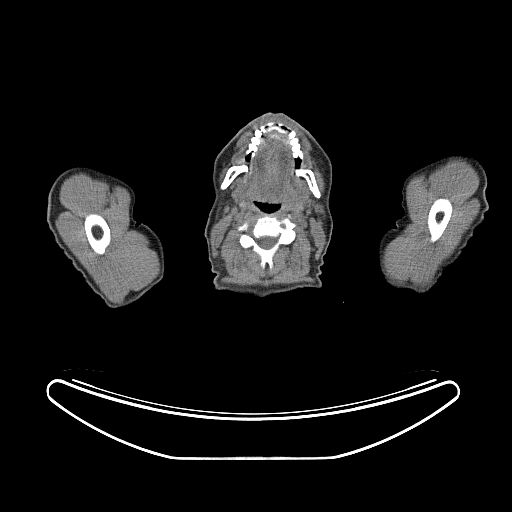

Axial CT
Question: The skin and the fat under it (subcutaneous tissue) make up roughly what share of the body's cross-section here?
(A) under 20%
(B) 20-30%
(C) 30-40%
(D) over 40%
Answer: (B) 20-30%
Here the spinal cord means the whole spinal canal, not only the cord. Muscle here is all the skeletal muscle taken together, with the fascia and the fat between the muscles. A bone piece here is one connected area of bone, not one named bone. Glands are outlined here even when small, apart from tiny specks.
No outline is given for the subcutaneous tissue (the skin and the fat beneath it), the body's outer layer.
{"muscle":[{"outer":[[273,130],[287,137],[295,175],[305,180],[316,199],[321,197],[322,204],[316,204],[314,212],[325,214],[325,241],[311,269],[312,281],[269,286],[227,283],[222,280],[225,273],[212,254],[210,239],[215,214],[222,201],[221,190],[248,171],[262,135]],"hole":[[257,203],[279,205],[272,212],[274,215],[278,219],[289,215],[289,219],[295,224],[294,239],[289,244],[279,246],[272,259],[272,269],[267,265],[262,268],[259,255],[251,247],[242,247],[239,242],[243,232],[238,227],[247,221],[250,230],[264,211]]},{"outer":[[77,172],[85,172],[94,178],[104,179],[111,185],[124,187],[129,192],[129,228],[145,234],[150,240],[150,247],[157,253],[157,276],[142,288],[131,290],[121,302],[112,302],[106,297],[64,243],[56,228],[55,220],[61,207],[61,184],[68,176]],"hole":[[90,213],[96,213],[102,216],[106,221],[109,227],[109,230],[110,231],[110,242],[106,247],[104,253],[102,254],[97,254],[93,250],[88,241],[88,239],[87,238],[87,236],[85,232],[85,228],[84,227],[84,220],[85,219],[86,215]]},{"outer":[[454,158],[463,159],[470,163],[479,175],[479,184],[475,193],[479,201],[479,211],[452,254],[442,262],[427,285],[418,286],[410,280],[398,282],[386,272],[383,263],[383,253],[386,245],[409,222],[406,187],[414,176],[423,172],[428,174],[436,167]],"hole":[[438,198],[446,198],[448,199],[451,203],[452,211],[451,212],[450,218],[446,225],[446,227],[444,229],[440,237],[434,242],[431,242],[430,241],[430,233],[429,232],[428,225],[427,224],[427,218],[428,217],[428,214],[429,213],[430,208],[433,202]]},[[270,118],[279,118],[285,120],[296,127],[308,140],[312,148],[311,154],[321,161],[319,163],[319,167],[323,173],[325,181],[325,187],[322,196],[314,172],[310,168],[304,167],[304,154],[295,131],[280,121],[270,120],[264,124],[261,124],[254,130],[254,134],[250,138],[250,142],[245,150],[243,162],[241,164],[231,165],[227,169],[219,184],[218,177],[223,164],[230,158],[240,137],[245,132],[250,130],[254,125]]],"bones":[{"outer":[[262,212],[272,212],[278,219],[289,215],[289,219],[295,224],[293,228],[294,239],[289,244],[279,246],[272,259],[272,269],[269,269],[267,265],[262,268],[259,255],[251,247],[242,247],[239,242],[243,232],[238,230],[238,227],[247,221],[250,230]],"hole":[[264,236],[269,236],[270,237],[276,237],[277,238],[277,239],[276,240],[275,243],[271,247],[270,247],[269,248],[266,249],[265,248],[263,248],[262,247],[261,247],[257,243],[257,242],[256,241],[256,239],[257,239],[260,237],[263,237]]},[[270,121],[283,123],[294,131],[303,154],[303,167],[313,172],[321,194],[319,198],[313,195],[306,180],[302,176],[296,175],[287,135],[274,129],[261,135],[247,171],[238,174],[225,189],[220,189],[220,184],[228,169],[244,162],[246,150],[255,130]],[[90,213],[96,213],[102,216],[106,221],[109,227],[109,230],[110,231],[110,242],[106,247],[104,253],[102,254],[97,254],[93,250],[88,241],[88,239],[87,238],[87,236],[85,232],[85,228],[84,227],[84,220],[85,219],[86,215]],[[438,198],[446,198],[448,199],[451,203],[452,211],[451,212],[450,218],[446,225],[446,227],[444,229],[440,237],[434,242],[431,242],[430,241],[430,233],[429,232],[428,225],[427,224],[427,218],[428,217],[428,214],[429,213],[430,208],[433,202]]],"head_and_neck":[{"outer":[[266,112],[282,112],[298,122],[311,133],[329,156],[332,164],[329,206],[333,228],[320,267],[319,277],[322,282],[320,288],[305,287],[267,297],[254,297],[214,289],[212,280],[215,275],[210,269],[204,229],[214,200],[212,171],[216,155],[238,130]],"hole":[[257,203],[263,203],[264,204],[277,204],[278,205],[279,205],[279,207],[277,209],[276,209],[275,210],[274,210],[273,211],[270,211],[269,212],[268,211],[264,211],[262,209],[261,209],[259,207],[258,207],[258,206],[256,204]]}],"right_arm":[[[78,165],[100,170],[126,182],[135,193],[133,208],[135,223],[138,225],[142,222],[148,225],[159,236],[163,246],[165,262],[163,278],[138,299],[123,307],[111,308],[105,305],[64,255],[56,244],[48,227],[46,212],[49,190],[61,172],[67,168]]],"parotid_glands":[[[318,204],[321,204],[322,205],[323,205],[324,206],[324,208],[325,209],[325,213],[324,214],[319,214],[318,213],[316,213],[315,212],[315,206],[316,205],[317,205]]],"spinal_cord":[[[264,236],[269,236],[270,237],[276,237],[277,238],[277,239],[276,240],[275,243],[271,247],[270,247],[269,248],[266,249],[265,248],[263,248],[262,247],[261,247],[257,243],[257,242],[256,241],[256,239],[257,239],[260,237],[263,237]]],"left_arm":[[[453,152],[467,153],[483,166],[487,176],[485,195],[488,210],[462,253],[443,271],[437,283],[428,292],[416,293],[410,289],[396,289],[386,283],[382,276],[378,264],[378,244],[382,235],[393,228],[396,219],[404,213],[401,205],[403,182],[415,169]]]}